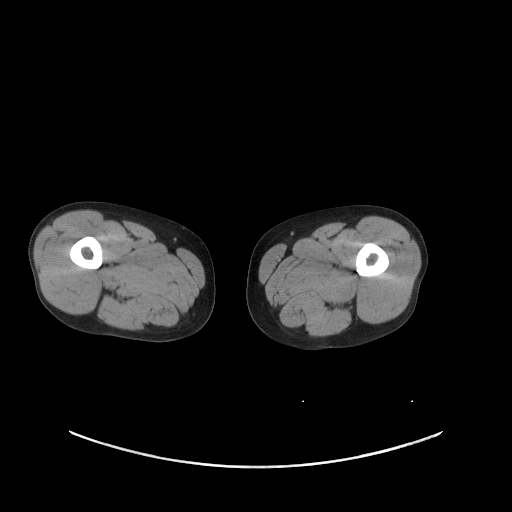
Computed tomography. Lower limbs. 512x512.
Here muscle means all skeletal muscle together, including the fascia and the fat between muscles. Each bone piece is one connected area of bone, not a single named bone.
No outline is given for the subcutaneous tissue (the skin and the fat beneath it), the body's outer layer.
{"muscle":[{"outer":[[78,209],[109,211],[147,220],[176,231],[198,249],[205,274],[205,288],[200,295],[196,307],[190,318],[181,328],[170,333],[120,331],[90,320],[67,314],[46,300],[40,289],[38,274],[33,259],[33,246],[35,239],[41,229],[52,219],[65,212]],"hole":[[87,235],[89,235],[90,236],[93,236],[95,237],[100,243],[101,245],[101,247],[102,248],[102,263],[101,265],[96,269],[85,269],[84,268],[82,268],[78,266],[76,264],[75,264],[71,260],[69,256],[69,250],[70,249],[70,247],[77,240]]},{"outer":[[352,214],[377,214],[385,216],[404,225],[411,232],[420,249],[421,267],[415,279],[411,297],[406,308],[397,317],[389,321],[375,325],[365,323],[351,333],[341,336],[310,340],[285,333],[273,320],[258,282],[258,269],[262,256],[273,244],[282,239]],"hole":[[367,242],[374,242],[384,249],[384,250],[387,253],[387,255],[389,259],[389,263],[387,268],[382,273],[376,276],[371,276],[370,277],[368,277],[367,276],[361,276],[359,275],[359,274],[356,271],[356,267],[355,266],[355,256],[357,252],[358,252]]}],"bones":[[[367,242],[374,242],[384,249],[384,250],[387,253],[387,255],[389,259],[389,263],[387,268],[382,273],[376,276],[371,276],[370,277],[368,277],[367,276],[361,276],[359,275],[359,274],[356,271],[356,267],[355,266],[355,256],[357,252],[358,252]],[[87,235],[89,235],[90,236],[93,236],[95,237],[100,243],[101,245],[101,247],[102,248],[102,263],[101,265],[96,269],[85,269],[84,268],[82,268],[78,266],[76,264],[75,264],[71,260],[69,256],[69,250],[70,249],[70,247],[77,240]]],"left_leg":[[[350,204],[373,204],[394,209],[409,218],[421,232],[427,248],[428,263],[420,284],[417,303],[412,315],[400,328],[388,335],[354,347],[305,351],[278,343],[257,327],[249,314],[246,304],[245,290],[247,271],[255,244],[267,230],[288,218],[314,210]]],"right_leg":[[[81,200],[112,202],[152,212],[186,226],[203,240],[209,250],[214,266],[216,293],[213,311],[208,321],[200,330],[179,340],[160,343],[94,335],[75,330],[63,324],[42,305],[35,291],[27,256],[27,246],[30,235],[36,224],[48,212],[63,204]]]}